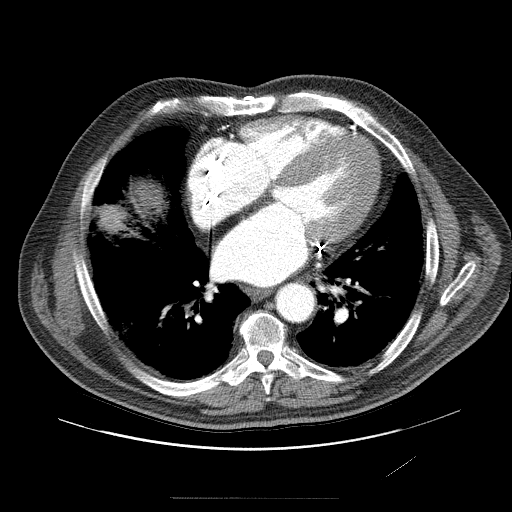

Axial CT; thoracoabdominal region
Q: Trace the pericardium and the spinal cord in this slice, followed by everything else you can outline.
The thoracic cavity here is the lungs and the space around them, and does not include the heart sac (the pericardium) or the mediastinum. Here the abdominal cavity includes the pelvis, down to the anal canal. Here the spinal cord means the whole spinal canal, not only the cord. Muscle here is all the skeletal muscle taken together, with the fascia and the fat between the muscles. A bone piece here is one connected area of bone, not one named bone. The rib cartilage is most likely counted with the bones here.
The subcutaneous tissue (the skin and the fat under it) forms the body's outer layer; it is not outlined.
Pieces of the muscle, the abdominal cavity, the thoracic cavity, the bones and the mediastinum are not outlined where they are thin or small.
A: {"pericardium":[[[272,114],[319,114],[339,118],[377,141],[389,156],[388,175],[381,190],[383,201],[363,233],[335,258],[330,261],[326,258],[317,275],[298,275],[271,287],[222,281],[210,273],[208,256],[198,243],[184,201],[190,157],[196,142],[208,132],[244,118]]],"spinal_cord":[[[262,350],[265,350],[266,351],[269,351],[271,353],[272,353],[272,354],[273,355],[273,357],[272,358],[272,360],[267,365],[265,365],[264,364],[261,363],[258,360],[258,359],[257,358],[257,356],[258,355],[258,353],[260,351],[261,351]]],"mediastinum":[[[326,259],[332,261],[322,271],[323,275],[311,282],[317,288],[319,309],[310,325],[298,332],[293,339],[287,337],[285,323],[262,309],[254,310],[237,321],[238,315],[250,305],[250,299],[233,283],[218,281],[271,288],[298,276],[317,276],[326,265]],[[270,111],[281,113],[238,119],[225,127],[208,131],[195,142],[183,182],[183,201],[199,247],[183,213],[179,191],[186,169],[184,155],[186,130],[178,126],[163,125],[131,138],[140,128],[158,116],[176,113],[195,113],[206,117],[213,115],[254,116]],[[354,126],[362,128],[381,142],[404,170],[398,174],[395,180],[385,209],[363,235],[382,207],[384,201],[382,200],[384,199],[384,194],[382,193],[384,191],[382,190],[386,186],[389,175],[390,163],[388,162],[390,161],[390,156],[377,140]],[[319,110],[330,110],[334,112],[338,112],[339,113],[341,113],[350,120],[351,120],[353,123],[353,125],[351,125],[339,117],[334,117],[331,115],[324,115],[319,113],[317,113],[316,114],[310,114],[309,113],[286,113],[294,113],[295,112],[315,112]]],"muscle":[{"outer":[[151,104],[145,114],[151,120],[140,127],[108,162],[107,155],[102,155],[87,173],[80,196],[79,216],[82,219],[90,213],[85,239],[89,266],[76,250],[72,257],[80,293],[96,324],[105,335],[110,326],[123,345],[151,372],[130,362],[124,364],[126,369],[160,394],[184,397],[221,383],[237,386],[251,373],[259,373],[266,395],[264,400],[269,402],[276,371],[282,371],[296,381],[310,377],[339,384],[347,380],[340,372],[367,364],[381,355],[367,371],[372,376],[400,355],[422,318],[422,308],[413,310],[422,279],[431,286],[436,281],[440,244],[432,217],[426,220],[424,229],[418,195],[410,178],[415,180],[417,173],[399,139],[419,156],[438,180],[459,222],[462,246],[474,247],[471,221],[474,213],[491,226],[503,249],[494,282],[469,315],[427,353],[399,374],[372,384],[369,388],[372,391],[344,402],[292,408],[268,402],[263,409],[254,412],[209,415],[196,406],[149,397],[102,378],[57,343],[39,321],[31,305],[31,273],[42,250],[43,266],[50,272],[60,221],[82,175],[138,112]],"hole":[[470,260],[473,260],[475,262],[475,268],[473,272],[471,274],[470,277],[466,281],[465,284],[453,295],[453,296],[449,300],[449,301],[445,305],[441,306],[439,304],[439,300],[442,293],[447,287],[447,286],[456,277],[460,269],[468,261]]},[[302,89],[318,89],[319,90],[324,90],[328,92],[338,93],[350,99],[359,101],[367,105],[377,115],[377,116],[382,121],[383,121],[383,122],[389,128],[390,128],[391,131],[393,133],[392,133],[366,109],[361,106],[357,105],[354,102],[349,99],[347,99],[346,98],[341,98],[340,97],[338,97],[337,96],[333,96],[332,95],[324,95],[317,92],[310,92],[309,91],[306,91],[305,90],[300,90]],[[187,95],[200,95],[198,95],[196,96],[193,99],[195,103],[199,107],[202,108],[202,109],[200,111],[200,113],[196,113],[195,112],[193,112],[194,111],[190,106],[187,105],[186,103],[183,100],[177,97],[179,96],[186,96]]],"thoracic_cavity":[[[163,126],[186,132],[180,205],[209,273],[250,302],[236,317],[243,344],[234,356],[189,381],[152,374],[124,345],[88,269],[90,218],[110,241],[137,236],[137,224],[166,222],[170,194],[149,171],[131,173],[123,199],[91,213],[110,160],[136,136]],[[404,172],[409,176],[416,192],[425,232],[424,273],[415,303],[403,327],[381,354],[367,363],[337,372],[298,353],[287,338],[293,340],[298,333],[311,325],[320,309],[318,288],[312,282],[317,282],[324,275],[325,268],[363,236],[382,215],[399,174]]],"abdominal_cavity":[[[147,172],[161,180],[169,194],[165,222],[160,220],[152,225],[137,223],[139,228],[137,235],[122,238],[115,236],[112,240],[108,239],[102,232],[97,230],[96,221],[90,217],[90,214],[96,207],[119,204],[124,199],[122,191],[126,187],[129,176]]],"bones":[{"outer":[[257,310],[285,324],[286,341],[298,354],[341,374],[344,382],[310,376],[296,380],[276,370],[270,400],[266,401],[262,374],[251,372],[237,385],[221,382],[193,394],[171,396],[137,379],[125,365],[130,363],[176,382],[209,375],[244,344],[235,325]],"hole":[[262,350],[265,350],[266,351],[269,351],[271,353],[272,353],[272,354],[273,355],[273,357],[272,358],[272,360],[267,365],[265,365],[264,364],[261,363],[258,360],[258,359],[257,358],[257,356],[258,355],[258,353],[260,351],[261,351]]},[[299,91],[346,99],[366,110],[398,139],[413,165],[416,178],[405,171],[381,141],[338,111],[319,109],[282,113],[274,108],[254,115],[202,114],[203,108],[194,100],[201,95],[229,95],[239,99],[247,95],[258,97],[273,94],[280,98]],[[74,251],[76,251],[78,253],[81,254],[86,263],[87,269],[93,283],[95,292],[108,322],[108,326],[109,327],[108,328],[108,333],[107,334],[105,334],[97,324],[96,321],[92,316],[81,293],[76,276],[76,272],[75,271],[74,258],[73,257]],[[418,309],[422,309],[421,318],[419,324],[416,329],[416,331],[414,333],[408,344],[399,355],[391,362],[391,363],[378,372],[372,375],[369,375],[368,374],[368,371],[381,359],[382,354],[404,327],[405,324],[410,317],[411,313],[413,311],[415,311]],[[429,218],[432,218],[435,224],[435,227],[437,232],[437,238],[439,244],[439,261],[438,262],[438,268],[437,269],[435,281],[434,283],[431,285],[424,277],[424,274],[425,273],[425,253],[426,252],[426,229],[425,227],[426,226],[427,220]],[[104,155],[106,155],[107,157],[107,163],[103,170],[100,180],[97,186],[95,188],[94,194],[92,198],[92,202],[91,203],[91,210],[81,218],[80,216],[80,208],[81,207],[81,196],[83,191],[84,181],[86,179],[88,173],[92,168],[92,166]],[[470,260],[473,260],[475,262],[475,268],[473,272],[471,274],[470,277],[466,281],[465,284],[453,295],[453,296],[449,300],[449,301],[445,305],[441,306],[439,304],[439,300],[442,293],[447,287],[447,286],[456,277],[460,269],[468,261]],[[174,97],[176,97],[183,101],[187,106],[191,108],[191,109],[193,111],[192,112],[191,111],[179,110],[175,113],[172,113],[171,114],[164,114],[163,115],[156,115],[151,118],[149,118],[146,115],[147,112],[158,100],[160,99],[161,100],[167,100]]],"torso":[[[300,73],[353,77],[383,89],[419,116],[488,193],[507,221],[511,238],[508,297],[496,319],[474,343],[399,399],[327,423],[192,429],[128,411],[72,381],[29,333],[18,307],[17,272],[27,231],[78,137],[112,101],[146,81],[186,76],[252,86]]]}